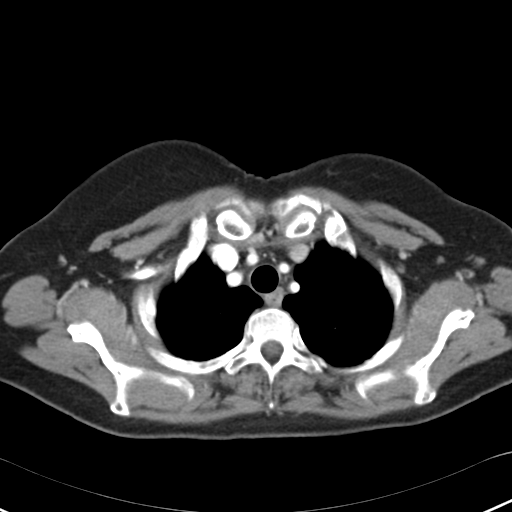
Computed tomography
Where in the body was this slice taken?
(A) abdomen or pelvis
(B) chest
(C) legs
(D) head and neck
(B) chest
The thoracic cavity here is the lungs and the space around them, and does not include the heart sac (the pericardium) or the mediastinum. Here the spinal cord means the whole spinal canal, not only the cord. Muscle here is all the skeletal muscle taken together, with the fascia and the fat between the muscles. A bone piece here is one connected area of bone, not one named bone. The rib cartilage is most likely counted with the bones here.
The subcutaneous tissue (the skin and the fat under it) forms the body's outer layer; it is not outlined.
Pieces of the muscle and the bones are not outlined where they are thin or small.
The thoracic cavity appears in 2 outlined pieces: piece 1: 321,239 324,239 331,247 347,252 353,258 358,256 378,271 391,299 393,318 387,338 369,357 353,365 334,366 313,352 303,340 298,324 282,308 284,298 300,290 300,284 294,277 296,266 306,259 315,244; piece 2: 204,251 208,255 210,263 217,265 224,273 228,287 246,286 260,298 262,304 261,308 255,309 248,316 243,326 241,339 233,347 217,356 195,360 183,358 168,350 156,323 157,300 163,288 173,281 177,282. The muscle appears in 2 outlined pieces: piece 1: 223,184 264,196 315,185 355,200 381,201 446,242 420,248 412,265 435,272 511,268 511,349 455,373 437,394 430,368 449,336 475,317 471,308 456,306 425,354 400,372 373,370 405,338 403,333 388,338 403,295 401,277 382,258 377,270 358,255 345,218 329,201 295,192 268,202 241,195 217,202 215,231 223,239 208,244 207,214 192,218 172,281 157,299 150,293 134,297 144,329 167,349 148,345 148,354 189,375 221,368 234,375 258,364 270,386 287,366 310,375 324,369 359,373 354,388 364,400 373,387 404,376 415,384 416,407 366,420 309,413 246,414 206,425 135,419 128,417 127,400 134,380 175,387 188,401 194,385 182,374 115,359 87,319 65,329 74,343 91,346 112,375 115,395 108,405 86,385 32,363 17,351 20,332 2,318 0,304 14,282 37,273 62,291 68,272 83,263 100,233 168,200 with a hole at 270,400 271,400 272,400 272,401 273,402 274,403 274,404 274,405 274,406 273,407 273,408 272,409 271,409 270,409 269,408 269,407 268,406 268,405 268,404 268,403 269,402 269,401; piece 2: 258,215 270,215 271,216 273,216 277,220 277,222 276,222 275,223 275,224 274,225 274,227 273,226 261,226 259,228 259,229 257,229 255,231 255,230 256,229 256,220 257,219 257,216. The right arm is outlined by 46,213 48,213 52,221 56,240 56,251 57,252 57,261 58,262 58,292 57,293 57,299 55,303 53,313 50,317 47,326 44,330 38,344 29,358 15,373 0,382 0,248 10,238 19,231 35,222. The torso is outlined by 173,137 206,144 262,176 334,153 377,153 410,165 452,196 484,209 480,236 483,284 494,312 511,328 511,383 416,425 337,436 201,440 112,435 2,382 30,358 58,299 57,240 48,212 108,161 144,143. The bones appear in 6 outlined pieces: piece 1: 268,307 286,311 305,345 334,367 359,364 387,339 403,334 395,353 372,370 390,368 396,373 431,349 451,310 469,308 474,317 448,336 428,371 436,395 418,406 413,401 416,384 404,375 373,386 364,399 355,388 359,372 324,368 310,374 287,365 270,385 258,363 234,374 222,367 189,374 158,363 148,346 195,361 223,354 242,339 249,316 with a hole at 268,341 275,341 279,343 279,344 282,348 282,350 281,351 281,353 280,355 275,361 270,361 268,360 263,355 262,353 262,350 261,349 262,348 262,346 263,344 264,344; piece 2: 295,193 327,201 342,215 355,243 356,257 325,240 322,215 307,237 286,237 281,229 275,227 278,220 270,214 256,216 254,232 246,239 225,239 217,233 215,217 221,209 215,207 217,203 234,196 268,203; piece 3: 83,320 92,323 100,332 115,360 168,375 182,375 193,385 193,397 188,400 175,386 154,378 139,378 134,379 127,389 126,400 130,416 112,412 109,404 116,395 113,375 91,345 74,342 66,329 70,323; piece 4: 202,212 204,212 206,214 208,220 208,240 206,246 206,251 204,250 199,255 197,259 186,269 185,272 179,279 177,281 174,281 173,276 177,255 179,251 186,244 189,233 189,226 191,221 193,218 197,217; piece 5: 138,294 144,297 146,297 149,294 150,294 154,296 156,299 156,315 155,316 155,323 156,324 156,327 159,332 161,340 158,340 150,335 142,324 138,314 138,311 137,310 137,300 135,297 136,295; piece 6: 381,259 385,261 393,268 393,269 400,277 400,279 402,283 402,295 401,296 401,299 399,303 398,310 395,315 394,315 394,308 393,307 392,299 383,283 381,275 378,270 379,264 380,263 380,260. The spinal cord is outlined by 268,341 275,341 279,343 279,344 282,348 282,350 281,351 281,353 280,355 275,361 270,361 268,360 263,355 262,353 262,350 261,349 262,348 262,346 263,344 264,344. The left arm is outlined by 486,210 495,215 497,217 500,218 511,226 511,327 506,325 499,318 494,309 490,304 490,301 485,290 485,285 484,284 484,274 483,273 483,263 482,262 481,236 482,235 482,223 483,222 484,213. The mediastinum is outlined by 261,227 273,227 290,239 309,237 318,240 305,259 295,266 293,277 299,284 299,290 286,295 281,308 262,307 261,298 246,285 228,286 225,273 217,264 211,263 207,253 207,246 211,243 224,239 246,240.